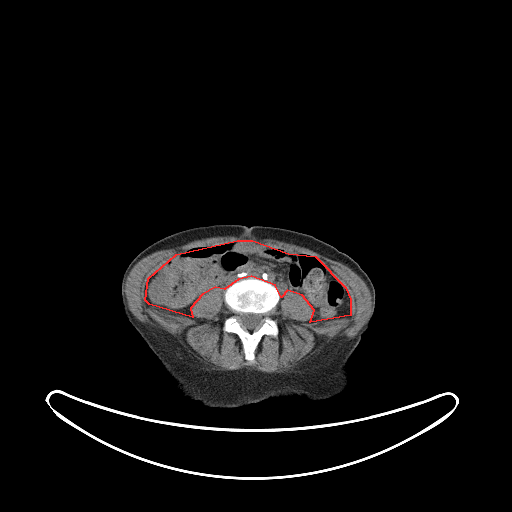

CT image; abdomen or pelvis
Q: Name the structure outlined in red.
A: red: abdominal cavity.
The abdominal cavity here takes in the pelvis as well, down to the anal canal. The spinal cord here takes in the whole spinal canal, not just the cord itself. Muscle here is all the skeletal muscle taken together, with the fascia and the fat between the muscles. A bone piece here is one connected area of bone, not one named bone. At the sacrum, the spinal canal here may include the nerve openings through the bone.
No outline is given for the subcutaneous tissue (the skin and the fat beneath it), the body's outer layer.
{"abdominal_cavity":[[[237,240],[252,240],[288,253],[315,256],[345,287],[350,299],[350,315],[310,322],[314,310],[302,295],[287,290],[281,297],[275,285],[251,276],[238,279],[224,289],[215,287],[202,294],[190,308],[192,317],[149,304],[145,300],[148,278],[176,254]]],"torso":[[[216,223],[269,225],[311,234],[351,256],[368,274],[375,288],[375,310],[367,331],[347,362],[350,379],[344,391],[316,401],[299,396],[280,399],[272,397],[230,408],[206,406],[180,393],[124,313],[120,295],[122,275],[130,261],[156,240],[186,228]]],"spinal_cord":[[[242,313],[252,313],[253,314],[259,314],[261,315],[261,317],[262,318],[262,323],[259,326],[259,327],[255,329],[253,329],[252,330],[249,330],[248,329],[246,329],[242,326],[241,323],[239,321],[239,316],[240,314]]],"bones":[{"outer":[[250,277],[272,284],[277,288],[280,295],[276,306],[268,314],[277,323],[278,334],[276,336],[264,334],[261,337],[255,349],[253,361],[245,358],[242,342],[239,337],[233,332],[223,331],[225,319],[232,314],[232,311],[224,301],[224,291],[232,283]],"hole":[[242,313],[252,313],[253,314],[259,314],[261,315],[261,317],[262,318],[262,323],[259,326],[259,327],[255,329],[253,329],[252,330],[249,330],[248,329],[246,329],[242,326],[241,323],[239,321],[239,316],[240,314]]}],"muscle":[{"outer":[[241,235],[270,238],[305,247],[348,266],[365,282],[371,295],[372,310],[365,324],[350,339],[325,343],[292,371],[267,373],[248,367],[210,369],[193,357],[175,336],[141,322],[129,309],[124,291],[126,278],[138,261],[155,251],[175,248],[194,240]],"hole":[[237,240],[315,256],[345,287],[350,315],[310,322],[313,308],[302,295],[287,290],[268,314],[277,323],[278,334],[264,334],[250,361],[239,337],[223,331],[232,311],[222,287],[202,294],[190,308],[192,317],[149,304],[145,300],[148,278],[176,254]]}]}